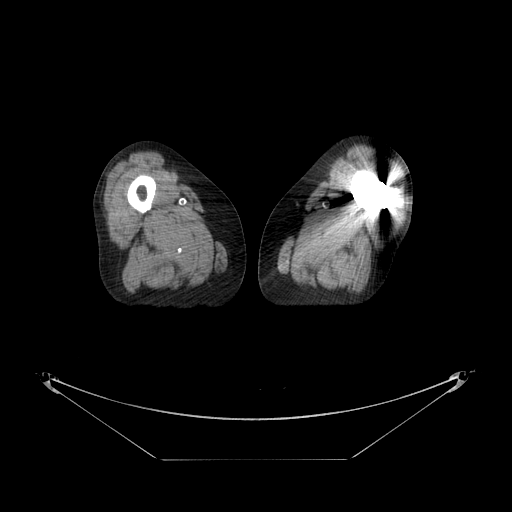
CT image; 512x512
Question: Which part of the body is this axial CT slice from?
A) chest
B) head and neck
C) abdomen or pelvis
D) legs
Answer: D) legs
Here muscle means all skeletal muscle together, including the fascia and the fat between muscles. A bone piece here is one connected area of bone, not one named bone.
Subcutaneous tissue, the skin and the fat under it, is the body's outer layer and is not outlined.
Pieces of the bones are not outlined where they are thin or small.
The left leg is outlined by 351,134 369,134 379,138 395,149 407,164 413,185 411,221 408,231 395,254 389,273 384,283 379,290 365,303 357,306 327,307 274,306 263,297 257,280 258,250 263,228 267,218 280,198 320,154 338,139. The muscle appears in 2 outlined pieces: piece 1: 140,150 157,150 166,155 199,196 211,223 227,252 228,264 226,270 213,279 192,289 176,291 148,291 131,294 126,291 120,279 118,278 118,268 100,204 101,190 104,178 111,167 117,161 131,152 with a hole at 139,174 147,174 148,175 150,175 152,177 153,177 156,183 155,194 152,201 151,208 144,213 141,213 134,209 128,203 127,197 126,196 126,193 127,192 127,189 128,188 129,184 131,182 131,181; piece 2: 354,143 365,143 377,147 395,157 404,168 407,184 405,222 393,239 383,246 374,257 368,283 365,289 361,293 350,294 311,292 288,282 276,271 276,262 279,249 285,239 297,225 305,203 321,176 334,159 with a hole at 363,167 369,169 373,169 375,173 380,179 380,181 382,184 383,187 383,205 382,208 380,210 376,210 375,211 364,210 361,209 360,207 353,201 353,198 350,190 349,180 354,170. The bones appear in 2 outlined pieces: piece 1: 363,167 369,169 373,169 375,173 380,179 380,181 382,184 383,187 383,205 382,208 380,210 376,210 375,211 364,210 361,209 360,207 353,201 353,198 350,190 349,180 354,170; piece 2: 139,174 147,174 148,175 150,175 152,177 153,177 156,183 155,194 152,201 151,208 144,213 141,213 134,209 128,203 127,197 126,196 126,193 127,192 127,189 128,188 129,184 131,182 131,181. The right leg is outlined by 143,139 163,142 179,152 215,183 237,210 246,244 246,268 238,292 222,307 197,306 191,309 169,307 154,309 147,306 127,306 114,300 102,284 98,270 98,246 92,210 93,194 99,176 108,160 124,146.